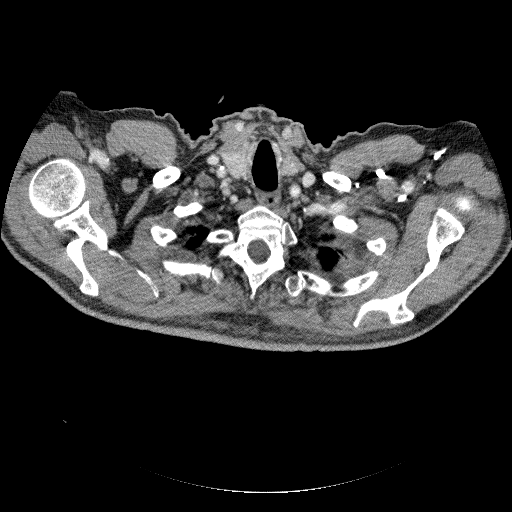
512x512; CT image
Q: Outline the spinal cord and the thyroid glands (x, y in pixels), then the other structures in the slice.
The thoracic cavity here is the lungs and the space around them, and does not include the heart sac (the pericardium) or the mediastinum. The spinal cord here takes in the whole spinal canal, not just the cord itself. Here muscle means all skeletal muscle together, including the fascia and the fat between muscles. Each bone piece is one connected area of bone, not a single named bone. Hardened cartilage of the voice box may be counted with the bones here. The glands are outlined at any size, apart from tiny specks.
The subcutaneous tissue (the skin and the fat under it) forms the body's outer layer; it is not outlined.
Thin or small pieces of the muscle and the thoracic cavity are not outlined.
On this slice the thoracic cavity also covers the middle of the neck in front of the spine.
A: The spinal cord is outlined by 256 240; 259 240; 260 241; 262 241; 267 246; 267 247; 269 250; 269 254; 268 255; 268 256; 265 259; 265 260; 264 260; 261 262; 255 262; 248 253; 248 246; 249 245; 249 244; 251 242; 252 242; 253 241; 255 241. The thyroid glands appear in 2 outlined pieces: piece 1: 243 141; 247 141; 249 144; 250 162; 249 163; 249 175; 247 179; 243 179; 242 178; 236 178; 234 177; 230 173; 228 168; 224 163; 222 159; 222 157; 221 156; 221 151; 223 148; 225 148; 230 144; 233 144; 236 142; 242 142; piece 2: 280 140; 284 140; 289 145; 289 147; 293 155; 295 156; 296 158; 297 158; 300 163; 300 167; 299 168; 299 170; 294 175; 292 175; 291 176; 284 176; 280 173; 280 163; 279 162; 279 154; 280 153; 280 147; 278 143; 278 142. The muscle appears in 2 outlined pieces: piece 1: 238 118; 297 126; 309 150; 322 159; 391 134; 407 134; 425 144; 422 160; 473 151; 496 177; 505 221; 501 244; 460 291; 416 315; 407 304; 409 294; 466 230; 455 213; 438 206; 421 271; 403 289; 363 301; 351 323; 357 328; 374 311; 384 313; 392 326; 404 324; 369 336; 335 338; 254 314; 142 317; 105 306; 94 298; 99 284; 87 267; 83 246; 90 242; 110 256; 123 257; 109 247; 107 232; 91 215; 86 179; 73 159; 53 157; 38 165; 27 198; 56 229; 74 233; 65 252; 81 274; 78 289; 10 234; 4 209; 32 132; 56 121; 83 138; 103 138; 115 120; 150 120; 174 132; 186 158; 223 123 with holes at 259 132; 287 142; 313 174; 306 193; 317 222; 350 257; 345 267; 324 272; 304 266; 298 244; 251 300; 247 275; 229 257; 216 256; 219 245; 162 246; 150 227; 178 234; 199 225; 232 228; 259 203; 214 175; 207 159 and at 297 268; 305 269; 322 275; 332 283; 335 290; 340 289; 340 285; 344 280; 370 270; 378 270; 379 275; 374 283; 367 289; 353 295; 342 297; 321 295; 311 290; 304 289; 298 295; 290 296; 284 286; 284 280; 288 274; 294 273 and at 163 259; 175 260; 180 262; 206 263; 213 267; 219 268; 222 270; 224 275; 223 278; 221 280; 221 282; 219 284; 215 283; 211 278; 206 278; 197 274; 191 275; 190 276; 188 275; 185 276; 172 275; 163 268; 162 266; 162 260 and at 170 164; 171 165; 174 165; 175 166; 178 166; 180 167; 181 169; 180 174; 171 183; 168 184; 166 186; 163 187; 161 189; 159 190; 157 190; 154 187; 152 186; 152 179; 154 175; 158 171; 163 169; 166 166 and at 329 170; 332 170; 333 171; 338 172; 344 175; 346 177; 347 177; 351 181; 351 187; 350 189; 348 191; 339 191; 336 188; 331 186; 329 184; 325 182; 323 180; 321 176; 321 174; 322 172; 324 171; 328 171 and at 341 215; 343 216; 346 216; 349 218; 352 218; 354 219; 356 222; 357 224; 357 227; 352 233; 349 233; 348 234; 339 234; 338 233; 335 233; 332 230; 332 227; 331 226; 332 225; 332 221; 333 219; 335 217; 337 216; 340 216 and at 195 201; 196 202; 198 202; 203 206; 203 208; 202 209; 202 210; 198 213; 197 213; 194 215; 191 215; 190 216; 187 216; 186 217; 178 217; 173 212; 173 210; 174 209; 174 208; 177 205; 186 205; 190 202; 194 202 and at 451 194; 460 194; 461 195; 465 195; 466 196; 468 196; 473 201; 473 203; 474 204; 474 207; 473 209; 471 209; 468 211; 464 211; 463 212; 461 211; 458 211; 458 210; 455 207; 454 207; 450 199; 450 195 and at 379 236; 384 236; 385 237; 385 238; 386 239; 386 248; 385 249; 385 250; 383 252; 383 253; 381 255; 375 255; 372 252; 370 252; 367 250; 367 249; 365 246; 365 244; 366 243; 366 242; 368 240; 369 240; 370 239; 374 239 and at 136 269; 139 269; 141 271; 147 274; 149 276; 152 282; 156 286; 158 290; 158 293; 159 294; 159 296; 157 298; 156 298; 154 296; 153 294; 153 292; 151 289; 151 287; 149 285; 149 284; 141 276; 140 276; 137 273; 136 271; piece 2: 284 205; 285 206; 286 205; 289 205; 293 207; 294 212; 297 216; 297 217; 299 219; 302 225; 302 227; 299 230; 299 233; 298 234; 294 229; 292 224; 287 219; 286 219; 283 216; 280 215; 273 209; 275 208; 280 208. The right arm is outlined by 63 90; 69 90; 75 92; 78 97; 86 105; 93 120; 93 123; 100 140; 102 150; 102 169; 100 177; 96 185; 91 191; 73 208; 64 214; 32 227; 22 228; 12 231; 1 231; 6 200; 18 160; 39 119; 58 93. The thoracic cavity appears in 2 outlined pieces: piece 1: 259 132; 282 139; 282 176; 300 170; 292 150; 313 174; 306 193; 321 228; 349 253; 345 267; 305 267; 298 235; 303 225; 294 207; 272 209; 209 170; 209 154; 226 146; 220 156; 229 173; 247 180; 250 144; 239 141; piece 2: 199 225; 204 226; 210 229; 208 231; 205 237; 201 242; 202 244; 196 247; 194 249; 184 249; 182 248; 179 245; 178 243; 178 240; 180 237; 179 236; 179 234; 182 231; 185 230; 188 227; 193 227; 194 226; 198 226. The bones appear in 13 outlined pieces: piece 1: 59 157; 73 160; 81 170; 89 213; 106 232; 108 247; 122 257; 110 255; 90 241; 83 244; 84 262; 98 284; 98 295; 94 297; 79 289; 82 274; 66 252; 75 233; 56 228; 53 220; 39 214; 28 198; 29 181; 36 168; piece 2: 255 204; 266 204; 287 220; 297 234; 299 242; 285 257; 285 267; 270 275; 258 287; 254 299; 251 300; 249 298; 249 280; 242 268; 227 256; 218 258; 216 254; 219 245; 203 244; 202 242; 211 229; 232 228; 236 224; 237 216, around a hole outlined by 256 240; 259 240; 260 241; 262 241; 267 246; 267 247; 269 250; 269 254; 268 255; 268 256; 265 259; 265 260; 264 260; 261 262; 255 262; 248 253; 248 246; 249 245; 249 244; 251 242; 252 242; 253 241; 255 241; piece 3: 438 207; 444 207; 455 214; 465 230; 457 241; 442 250; 435 269; 408 294; 406 304; 414 312; 414 317; 404 323; 392 325; 384 312; 372 310; 364 315; 357 327; 353 326; 353 320; 363 302; 403 290; 422 271; 428 260; 427 235; piece 4: 297 268; 305 269; 327 278; 332 283; 335 290; 340 289; 340 285; 344 280; 370 270; 378 270; 379 275; 374 283; 367 289; 353 295; 342 297; 321 295; 311 290; 304 289; 298 295; 290 296; 284 286; 284 280; 288 274; 294 273; piece 5: 163 259; 175 260; 180 262; 206 263; 213 267; 219 268; 222 270; 224 275; 223 278; 221 280; 221 282; 219 284; 215 283; 211 278; 206 278; 197 274; 191 275; 190 276; 188 275; 185 276; 172 275; 163 268; 162 266; 162 260; piece 6: 170 164; 171 165; 174 165; 175 166; 178 166; 180 167; 181 169; 180 174; 171 183; 168 184; 166 186; 163 187; 161 189; 159 190; 157 190; 154 187; 152 186; 152 179; 154 175; 158 171; 163 169; 166 166; piece 7: 329 170; 332 170; 333 171; 338 172; 344 175; 346 177; 347 177; 351 181; 351 187; 350 189; 348 191; 339 191; 336 188; 331 186; 329 184; 325 182; 323 180; 321 176; 321 174; 322 172; 324 171; 328 171; piece 8: 152 225; 158 225; 159 226; 161 226; 164 228; 170 228; 171 229; 172 229; 174 231; 175 231; 178 234; 178 236; 179 237; 177 240; 168 243; 166 246; 162 246; 161 245; 158 244; 153 239; 153 238; 150 233; 150 227; piece 9: 341 215; 343 216; 346 216; 349 218; 352 218; 354 219; 354 220; 356 222; 357 224; 357 227; 356 229; 352 233; 349 233; 348 234; 339 234; 338 233; 335 233; 332 230; 332 221; 333 219; 335 217; 337 216; 340 216; piece 10: 195 201; 196 202; 198 202; 203 206; 203 208; 202 209; 202 210; 198 213; 197 213; 194 215; 191 215; 190 216; 187 216; 186 217; 178 217; 173 212; 173 210; 174 209; 174 208; 177 205; 186 205; 190 202; 194 202; piece 11: 451 194; 460 194; 461 195; 465 195; 466 196; 468 196; 473 201; 473 203; 474 204; 474 207; 473 209; 471 209; 468 211; 464 211; 463 212; 461 211; 458 211; 458 210; 455 207; 454 207; 450 199; 450 195; piece 12: 379 236; 384 236; 385 237; 385 238; 386 239; 386 248; 385 249; 385 250; 383 252; 383 253; 381 255; 375 255; 372 252; 370 252; 367 250; 367 249; 365 246; 365 244; 366 243; 366 242; 368 240; 369 240; 370 239; 374 239; piece 13: 136 269; 139 269; 141 271; 147 274; 149 276; 152 282; 156 286; 158 290; 158 293; 159 294; 159 296; 157 298; 156 298; 154 296; 153 294; 153 292; 151 289; 151 287; 149 285; 149 284; 141 276; 140 276; 137 273; 136 271. The torso is outlined by 256 103; 301 123; 325 147; 337 135; 381 121; 436 127; 429 176; 439 199; 465 227; 511 242; 511 250; 442 322; 384 348; 255 350; 81 313; 10 254; 1 232; 60 217; 97 185; 103 150; 87 105; 170 112; 195 139; 216 117. The left arm is outlined by 456 120; 466 120; 472 122; 480 132; 490 153; 504 194; 508 214; 509 228; 511 232; 511 241; 497 240; 485 233; 473 230; 465 226; 450 212; 449 209; 442 202; 435 190; 430 176; 430 150; 433 137; 437 126; 440 126; 447 122.